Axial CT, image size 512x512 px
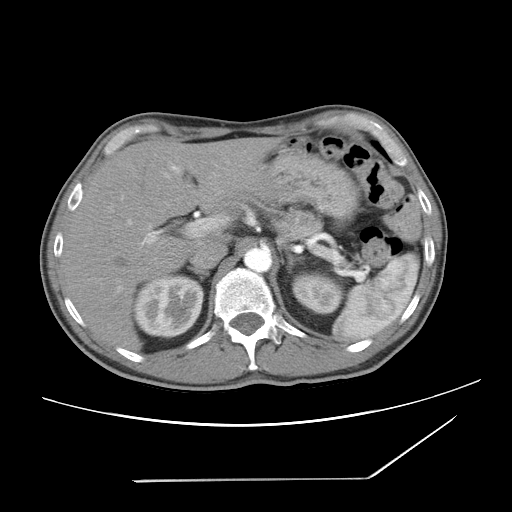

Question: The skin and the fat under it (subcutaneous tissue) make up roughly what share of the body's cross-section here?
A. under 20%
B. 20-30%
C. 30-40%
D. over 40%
Answer: A. under 20%
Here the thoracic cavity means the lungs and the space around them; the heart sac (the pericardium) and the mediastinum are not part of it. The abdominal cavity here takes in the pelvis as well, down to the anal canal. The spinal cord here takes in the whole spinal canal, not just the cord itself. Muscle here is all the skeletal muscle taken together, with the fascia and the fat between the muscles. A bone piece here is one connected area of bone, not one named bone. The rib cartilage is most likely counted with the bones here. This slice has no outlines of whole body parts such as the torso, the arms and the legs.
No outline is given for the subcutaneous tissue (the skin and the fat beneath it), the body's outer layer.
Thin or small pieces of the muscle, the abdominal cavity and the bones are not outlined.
{"bones":[{"outer":[[236,267],[243,267],[261,276],[271,291],[276,306],[274,312],[281,314],[290,324],[307,334],[300,337],[279,328],[279,344],[269,338],[259,339],[254,351],[255,370],[248,369],[250,360],[244,346],[231,341],[223,329],[222,320],[214,314],[215,286]],"hole":[[244,313],[255,313],[259,316],[260,316],[263,320],[263,323],[258,328],[257,328],[252,333],[251,333],[250,334],[245,334],[244,333],[241,332],[239,330],[238,330],[236,328],[235,328],[231,324],[231,321],[235,317],[236,317],[240,314],[243,314]]},[[351,112],[359,115],[363,115],[381,125],[388,135],[400,148],[407,160],[407,163],[404,166],[400,166],[396,164],[388,155],[378,139],[368,131],[353,127],[335,127],[332,125],[324,126],[316,124],[315,123],[319,120],[326,119],[335,115],[344,115]],[[141,124],[151,124],[152,125],[155,125],[159,128],[159,130],[157,131],[151,131],[150,132],[137,134],[131,139],[126,141],[122,144],[112,153],[108,155],[105,155],[104,154],[103,152],[104,146],[117,133],[130,126],[140,125]],[[78,182],[80,182],[82,185],[82,189],[83,190],[83,193],[82,194],[82,197],[81,198],[81,200],[79,204],[73,211],[71,211],[69,209],[68,209],[67,207],[67,200],[74,186]],[[213,324],[215,324],[216,325],[216,329],[215,330],[216,331],[215,332],[215,334],[208,341],[196,347],[194,347],[190,349],[186,349],[185,348],[185,344],[186,343],[187,343],[192,339],[196,337],[198,337],[202,335],[204,333],[205,333],[211,328]],[[425,236],[430,236],[431,237],[431,238],[432,239],[432,240],[433,241],[433,244],[434,245],[434,251],[435,252],[435,256],[434,257],[434,259],[433,260],[433,262],[432,263],[432,264],[430,266],[429,266],[424,261],[424,237]],[[65,297],[68,297],[71,300],[75,308],[77,310],[80,316],[82,318],[83,321],[85,323],[86,325],[85,326],[82,326],[80,324],[79,324],[71,316],[64,302],[64,298]],[[415,293],[417,293],[419,295],[419,300],[416,305],[416,307],[413,311],[413,312],[409,316],[409,317],[407,318],[402,323],[400,323],[399,321],[400,319],[400,317],[402,315],[403,312],[406,309],[407,306],[409,304],[410,301],[412,299]],[[418,188],[420,188],[423,191],[423,192],[427,197],[427,198],[431,205],[431,214],[430,214],[429,215],[426,214],[423,211],[423,210],[422,209],[422,207],[421,206],[421,204],[420,203],[420,202],[418,199],[418,197],[417,196],[417,189]],[[117,346],[119,347],[121,347],[124,349],[129,350],[132,352],[135,352],[141,355],[144,358],[144,359],[140,362],[136,362],[135,361],[130,360],[126,357],[125,357],[123,355],[122,355],[120,353],[119,353],[116,350],[115,348]],[[368,338],[371,338],[372,339],[372,342],[368,346],[367,346],[362,350],[360,351],[356,351],[355,352],[351,352],[350,351],[348,351],[346,350],[346,347],[348,345],[350,344],[353,344],[356,342],[358,342],[362,340],[365,340]]],"spinal_cord":[[[244,313],[255,313],[259,316],[260,316],[263,320],[263,323],[258,328],[257,328],[252,333],[251,333],[250,334],[245,334],[244,333],[241,332],[239,330],[238,330],[236,328],[235,328],[231,324],[231,321],[235,317],[236,317],[240,314],[243,314]]],"muscle":[{"outer":[[328,110],[351,110],[352,111],[366,113],[376,117],[384,123],[396,136],[408,152],[426,186],[430,191],[437,206],[439,212],[439,217],[441,222],[441,242],[440,243],[440,251],[438,255],[438,265],[436,270],[434,284],[416,320],[412,326],[403,335],[391,344],[377,352],[368,359],[359,363],[356,366],[351,366],[347,368],[342,368],[324,373],[312,374],[311,375],[298,375],[297,376],[276,375],[275,374],[268,373],[265,371],[249,371],[248,372],[245,372],[241,375],[234,378],[218,383],[185,383],[184,382],[167,380],[145,373],[138,372],[95,351],[89,347],[77,335],[63,315],[59,307],[57,298],[51,287],[51,284],[48,275],[48,268],[47,267],[47,253],[46,252],[47,251],[47,243],[57,210],[65,192],[74,178],[90,157],[96,147],[108,134],[126,123],[129,123],[133,121],[145,119],[146,118],[159,119],[178,126],[190,126],[191,127],[226,127],[227,128],[261,127],[262,126],[277,125],[280,123],[289,123],[290,122],[299,121],[304,118]],"hole":[[351,112],[384,128],[407,160],[397,167],[399,173],[416,194],[420,188],[431,205],[431,214],[423,213],[423,236],[431,237],[435,256],[430,266],[423,262],[415,291],[419,300],[402,323],[397,319],[355,352],[329,337],[300,337],[279,328],[279,344],[269,338],[256,342],[257,369],[249,370],[246,349],[231,341],[214,314],[212,291],[206,319],[193,337],[215,324],[208,341],[190,349],[183,344],[140,353],[144,358],[140,362],[128,359],[116,345],[71,316],[64,302],[68,292],[62,257],[53,251],[55,236],[66,233],[73,213],[67,200],[74,186],[80,182],[84,187],[105,155],[104,146],[117,133],[151,124],[179,140],[233,132],[293,135],[334,128],[317,121]]}],"thoracic_cavity":[[[375,143],[378,143],[382,147],[382,148],[385,151],[385,152],[386,153],[386,155],[385,155],[383,153],[382,153],[378,149],[378,148],[377,147],[376,147],[376,146],[375,145]]],"abdominal_cavity":[[[326,128],[371,134],[379,142],[375,147],[399,166],[420,204],[423,265],[399,319],[349,344],[311,335],[283,317],[261,275],[236,266],[216,282],[201,328],[177,347],[138,353],[86,324],[68,296],[61,256],[70,218],[104,156],[151,132],[193,140]]]}